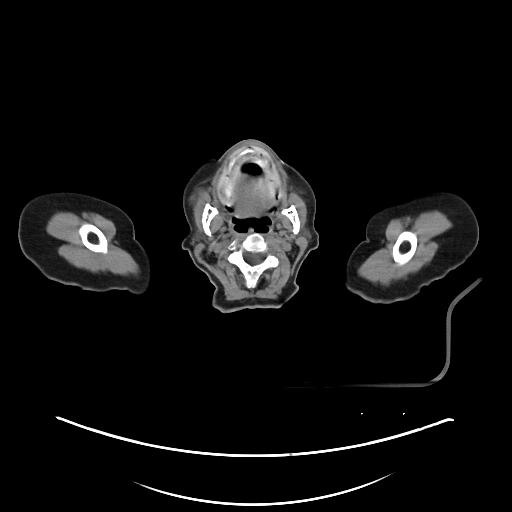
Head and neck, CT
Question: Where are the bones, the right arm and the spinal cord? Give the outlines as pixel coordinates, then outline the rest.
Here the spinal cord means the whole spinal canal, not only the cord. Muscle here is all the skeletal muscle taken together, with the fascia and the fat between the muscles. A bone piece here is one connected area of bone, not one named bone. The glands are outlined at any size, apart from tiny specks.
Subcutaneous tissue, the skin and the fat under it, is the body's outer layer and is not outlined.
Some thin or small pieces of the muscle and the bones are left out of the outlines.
Answer: {"bones":[{"outer":[[253,232],[260,233],[262,235],[267,243],[269,250],[278,259],[278,264],[274,267],[265,269],[259,276],[255,287],[248,288],[246,286],[246,281],[243,273],[235,264],[231,263],[227,258],[232,251],[229,248],[231,242],[233,240],[236,240],[240,243]],"hole":[[244,252],[250,252],[251,253],[262,253],[264,255],[264,257],[263,258],[263,259],[259,263],[257,263],[256,264],[251,264],[250,263],[249,263],[245,259],[245,258],[244,257],[244,255],[243,254],[244,253]]},[[254,145],[263,148],[269,153],[270,160],[274,164],[279,176],[279,183],[272,184],[270,179],[257,165],[249,162],[239,168],[230,177],[229,184],[231,187],[231,194],[228,198],[218,186],[219,178],[223,171],[228,167],[232,154],[236,150],[250,148]],[[406,230],[411,231],[416,234],[416,236],[417,237],[417,245],[416,246],[415,251],[413,255],[411,257],[411,258],[404,264],[402,265],[398,265],[394,261],[393,259],[393,257],[392,256],[392,250],[393,249],[393,246],[398,236],[403,231],[405,231]],[[86,222],[88,223],[91,223],[96,226],[105,236],[107,240],[107,248],[108,249],[106,253],[102,253],[101,252],[95,252],[94,251],[92,251],[90,249],[86,247],[83,244],[81,240],[81,237],[79,234],[78,230],[80,226],[82,224]],[[206,203],[209,203],[213,207],[217,209],[217,213],[213,216],[209,224],[209,229],[211,232],[211,235],[210,236],[208,236],[204,232],[203,230],[203,227],[202,226],[202,223],[201,222],[201,217],[202,216],[202,212],[203,211],[204,206]],[[291,204],[293,204],[295,206],[295,208],[298,214],[298,217],[299,218],[299,222],[300,223],[300,227],[299,228],[299,231],[298,233],[296,234],[294,234],[293,233],[293,226],[289,218],[281,212],[282,209],[284,208],[287,208]]],"right_arm":[[[55,191],[80,192],[103,199],[118,206],[130,217],[133,222],[135,237],[147,253],[151,264],[151,284],[145,293],[135,295],[126,290],[117,289],[96,292],[84,290],[74,285],[65,285],[45,277],[25,257],[20,249],[17,237],[20,212],[31,198]]],"spinal_cord":[[[244,252],[250,252],[251,253],[262,253],[264,255],[264,257],[263,258],[263,259],[259,263],[257,263],[256,264],[251,264],[250,263],[249,263],[245,259],[245,258],[244,257],[244,255],[243,254],[244,253]]],"muscle":[{"outer":[[248,142],[263,147],[254,144],[236,149],[218,178],[218,188],[228,199],[232,194],[230,179],[242,167],[244,171],[252,174],[261,172],[272,185],[278,185],[280,176],[271,160],[270,153],[293,183],[305,191],[303,196],[307,205],[307,226],[302,229],[302,234],[311,240],[279,297],[227,301],[224,299],[219,281],[198,261],[194,253],[193,246],[202,238],[202,234],[196,228],[188,199],[200,180],[211,175],[234,149]],"holes":[[[233,218],[239,220],[251,218],[258,220],[263,218],[269,219],[267,230],[260,233],[267,243],[269,250],[278,259],[278,264],[265,269],[253,288],[246,286],[243,273],[227,259],[232,251],[229,248],[231,242],[236,240],[240,243],[253,232],[236,230]],[[206,203],[209,203],[213,207],[217,209],[217,213],[213,216],[209,224],[209,229],[211,232],[211,235],[210,236],[208,236],[204,232],[203,230],[203,227],[202,226],[202,223],[201,222],[201,217],[202,216],[202,212],[203,211],[204,206]],[[291,204],[293,204],[295,206],[295,208],[298,214],[298,217],[299,218],[299,222],[300,223],[300,227],[299,228],[299,231],[298,233],[296,234],[294,234],[293,233],[293,226],[289,218],[281,212],[282,209],[284,208],[287,208]]]},{"outer":[[433,209],[437,209],[445,213],[452,221],[453,229],[439,242],[439,248],[436,254],[427,265],[417,272],[410,274],[406,279],[393,282],[387,286],[373,284],[360,278],[356,274],[361,263],[381,245],[386,225],[391,219],[407,215],[414,217],[421,212]],"hole":[[406,230],[411,231],[416,234],[416,236],[417,237],[417,245],[416,246],[415,251],[413,255],[411,257],[411,258],[404,264],[402,265],[398,265],[394,261],[393,259],[393,257],[392,256],[392,250],[393,249],[393,246],[398,236],[403,231],[405,231]]},{"outer":[[57,210],[72,212],[91,211],[110,219],[116,227],[115,238],[118,245],[126,250],[135,259],[140,267],[140,273],[138,275],[126,276],[111,272],[94,273],[88,270],[77,268],[68,263],[57,253],[56,239],[49,235],[45,230],[46,221],[50,215]],"hole":[[86,222],[88,223],[91,223],[96,226],[105,236],[107,240],[107,248],[108,249],[106,253],[102,253],[101,252],[95,252],[94,251],[92,251],[90,249],[86,247],[83,244],[81,240],[81,237],[79,234],[78,230],[80,226],[82,224]]}],"head_and_neck":[{"outer":[[249,138],[270,146],[312,187],[316,199],[314,226],[319,235],[319,244],[302,263],[296,278],[298,290],[289,301],[277,308],[245,308],[223,313],[212,306],[214,286],[181,247],[181,242],[189,231],[182,193],[188,178],[201,161],[217,158],[233,144]],"holes":[[[233,218],[236,218],[239,220],[245,220],[251,218],[254,218],[260,220],[263,218],[268,218],[269,219],[269,223],[267,224],[267,230],[266,231],[263,231],[262,232],[257,232],[256,231],[238,231],[236,230],[234,227],[235,225],[232,220]],[[249,163],[250,164],[254,164],[256,166],[257,166],[260,169],[260,171],[259,172],[258,172],[257,173],[252,173],[251,172],[250,172],[249,171],[247,171],[246,170],[244,170],[243,169],[243,167],[245,165],[247,165]]]}],"parotid_glands":[[[196,229],[197,229],[200,232],[200,233],[201,234],[201,238],[198,241],[197,241],[193,245],[192,245],[190,243],[190,241],[191,240],[191,238],[192,237],[192,236],[193,235],[193,234],[194,233],[194,232],[196,230]],[[306,227],[308,227],[308,230],[310,232],[310,233],[311,234],[311,237],[312,238],[311,238],[310,239],[308,239],[306,237],[305,237],[304,236],[304,235],[303,234],[303,229],[304,228],[305,228]]],"left_arm":[[[438,190],[453,192],[461,196],[470,205],[477,218],[479,239],[475,250],[467,260],[444,277],[424,286],[417,295],[408,300],[391,304],[376,304],[348,291],[344,285],[345,263],[354,247],[365,238],[365,227],[369,218],[375,212],[388,205],[421,193]]]}